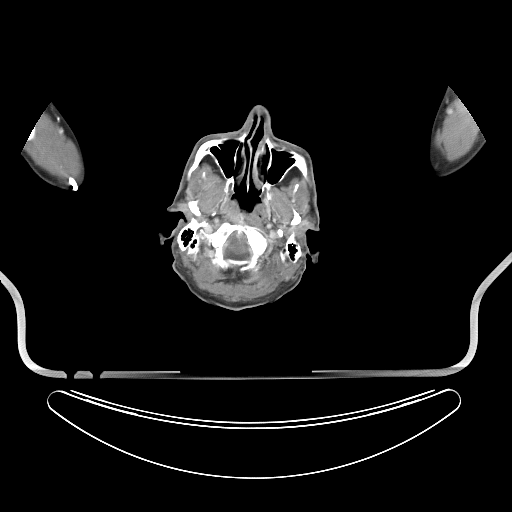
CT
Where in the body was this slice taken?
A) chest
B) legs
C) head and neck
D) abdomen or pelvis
Answer: C) head and neck
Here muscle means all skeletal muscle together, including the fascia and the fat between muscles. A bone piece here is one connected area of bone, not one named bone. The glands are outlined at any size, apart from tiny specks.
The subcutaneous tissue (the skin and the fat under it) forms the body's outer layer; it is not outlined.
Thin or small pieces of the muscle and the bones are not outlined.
The muscle appears in 5 outlined pieces: piece 1: (293, 168) (297, 168) (305, 180) (309, 179) (309, 171) (311, 181) (310, 211) (303, 220) (293, 207) (291, 209) (291, 229) (278, 251) (282, 262) (288, 260) (295, 264) (302, 256) (296, 277) (269, 295) (245, 302) (225, 301) (199, 289) (182, 266) (177, 247) (194, 260) (202, 250) (215, 268) (249, 271) (257, 275) (263, 260) (273, 249) (274, 240) (258, 226) (248, 223) (246, 214) (240, 209) (251, 211) (256, 203) (261, 202) (268, 212) (272, 187); inner edge: (278, 228) (282, 228) (282, 229) (283, 230) (283, 235) (282, 236) (282, 237) (277, 237) (276, 236) (277, 235) (276, 234) (276, 230); piece 2: (48, 105) (59, 118) (66, 133) (66, 135) (74, 143) (79, 154) (81, 166) (83, 169) (83, 174) (80, 182) (75, 188) (71, 186) (65, 186) (55, 177) (50, 175) (40, 168) (34, 163) (32, 159) (22, 149) (26, 143) (29, 142) (35, 137) (36, 134) (36, 123); piece 3: (452, 90) (453, 90) (459, 99) (461, 100) (463, 104) (467, 108) (481, 131) (482, 135) (477, 139) (477, 141) (472, 148) (464, 156) (456, 161) (449, 162) (444, 159) (435, 149) (433, 142) (436, 131) (437, 129) (440, 127) (443, 119) (444, 106) (446, 103) (447, 96); piece 4: (206, 156) (212, 159) (224, 179) (223, 192) (225, 197) (228, 200) (230, 193) (230, 199) (237, 207) (231, 220) (224, 220) (213, 229) (211, 229) (211, 225) (206, 220) (197, 218) (202, 215) (199, 200) (194, 198) (186, 202) (183, 196) (186, 180) (190, 179) (193, 172); piece 5: (302, 222) (304, 224) (304, 227) (303, 228) (303, 229) (302, 230) (302, 245) (301, 245) (301, 244) (297, 240) (297, 239) (296, 238) (296, 233) (295, 232) (295, 231) (294, 230) (294, 229) (293, 228) (295, 226) (296, 226) (297, 225) (298, 225) (299, 224) (300, 224). The bones appear in 2 outlined pieces: piece 1: (258, 114) (262, 117) (253, 148) (269, 119) (271, 139) (305, 158) (308, 179) (293, 167) (271, 187) (268, 211) (252, 181) (246, 190) (245, 174) (235, 184) (234, 186) (233, 198) (245, 214) (244, 220) (273, 240) (255, 274) (215, 267) (202, 249) (194, 259) (179, 248) (176, 236) (194, 216) (190, 200) (198, 200) (201, 215) (196, 218) (211, 230) (232, 220) (232, 217) (238, 207) (231, 199) (230, 192) (226, 197) (225, 179) (213, 159) (206, 155) (188, 180) (186, 174) (202, 143) (240, 134); inner edges: (233, 136) (233, 140) (238, 142) (239, 144) (236, 146) (232, 156) (233, 167) (234, 168) (237, 163) (237, 156) (239, 152) (241, 164) (237, 173) (235, 175) (232, 174) (227, 176) (217, 156) (212, 150) (214, 148) (220, 150) (222, 147) (221, 146) (226, 142) (230, 141), then (274, 150) (277, 152) (285, 152) (287, 155) (289, 156) (292, 161) (291, 163) (290, 163) (289, 165) (288, 165) (287, 167) (285, 168) (278, 179) (273, 183) (272, 182) (270, 182) (266, 176) (267, 175) (268, 171) (272, 165) (272, 162) (273, 161) (273, 151), then (232, 234) (234, 234) (234, 236) (237, 239) (239, 239) (243, 235) (244, 236) (245, 238) (245, 242) (248, 246) (248, 252) (249, 253) (249, 255) (247, 257) (245, 258) (237, 258) (236, 257) (230, 257) (229, 256) (226, 256) (225, 255) (225, 250) (228, 246) (228, 239), then (267, 152) (267, 153) (268, 154) (268, 159) (267, 160) (267, 163) (266, 164) (266, 166) (265, 167) (265, 168) (264, 169) (263, 169) (263, 168) (262, 167) (262, 166) (263, 165) (263, 160) (264, 159) (264, 157) (265, 156) (265, 155) (266, 154) (266, 153); piece 2: (293, 208) (300, 215) (302, 219) (302, 221) (300, 223) (295, 225) (292, 228) (295, 233) (295, 238) (300, 244) (303, 252) (303, 254) (295, 263) (291, 262) (288, 259) (282, 261) (279, 256) (279, 251) (282, 248) (292, 229) (290, 221) (293, 216) (293, 212) (292, 211). The brain is outlined by (232, 234) (234, 234) (234, 236) (237, 239) (239, 239) (243, 235) (244, 236) (245, 238) (245, 242) (248, 246) (248, 252) (249, 253) (249, 255) (247, 257) (245, 258) (237, 258) (236, 257) (230, 257) (229, 256) (226, 256) (225, 255) (225, 250) (228, 246) (228, 239). The left arm is outlined by (447, 86) (449, 86) (453, 90) (473, 117) (485, 139) (485, 144) (475, 157) (463, 168) (445, 177) (437, 177) (432, 173) (428, 163) (428, 143) (429, 142) (429, 137) (430, 136) (430, 131) (431, 130) (432, 123) (439, 104) (441, 101) (441, 99) (444, 94) (445, 89). The head is outlined by (257, 103) (278, 138) (311, 156) (320, 229) (308, 229) (306, 239) (311, 252) (319, 243) (320, 254) (315, 264) (306, 257) (300, 282) (279, 299) (230, 310) (189, 291) (172, 268) (171, 240) (160, 245) (158, 233) (168, 236) (184, 217) (167, 207) (196, 141) (237, 130) with holes at (231, 140) (238, 142) (239, 144) (236, 146) (232, 156) (233, 167) (234, 168) (237, 163) (237, 156) (239, 152) (241, 164) (237, 173) (235, 175) (232, 174) (229, 176) (227, 176) (217, 156) (212, 150) (214, 148) (220, 150) (222, 147) (221, 146) (223, 144) and at (245, 175) (245, 190) (247, 192) (249, 191) (251, 182) (252, 182) (254, 187) (256, 189) (259, 190) (259, 194) (258, 195) (259, 201) (255, 203) (253, 208) (251, 210) (242, 209) (239, 206) (238, 201) (234, 198) (235, 186) (236, 184) (237, 185) (241, 182) (243, 177) and at (274, 150) (277, 152) (285, 152) (287, 155) (289, 156) (292, 161) (291, 163) (290, 163) (289, 165) (288, 165) (287, 167) (285, 168) (278, 179) (273, 183) (272, 182) (270, 182) (266, 176) (267, 175) (268, 171) (272, 165) (272, 162) (273, 161) (273, 151) and at (262, 118) (263, 119) (263, 123) (262, 124) (262, 135) (261, 136) (261, 137) (259, 139) (259, 140) (257, 142) (257, 143) (254, 148) (254, 146) (253, 145) (253, 140) (254, 139) (254, 137) (256, 134) (256, 132) (259, 127) (259, 125) (261, 122) (261, 120) (262, 119) and at (267, 152) (267, 153) (268, 154) (268, 159) (267, 160) (267, 163) (266, 164) (266, 166) (265, 167) (265, 168) (264, 169) (263, 169) (263, 168) (262, 167) (262, 166) (263, 165) (263, 160) (264, 159) (264, 157) (265, 156) (265, 155) (266, 154) (266, 153). The parotid glands appear in 2 outlined pieces: piece 1: (181, 197) (183, 197) (185, 199) (185, 202) (186, 203) (186, 209) (185, 210) (184, 210) (182, 208) (181, 208) (180, 207) (179, 207) (178, 206) (178, 201) (180, 199) (180, 198); piece 2: (309, 212) (310, 212) (311, 213) (311, 219) (312, 220) (312, 221) (311, 222) (311, 223) (309, 223) (308, 224) (307, 224) (306, 225) (305, 225) (305, 224) (303, 222) (303, 221) (304, 221) (305, 220) (304, 219) (304, 217). The right arm is outlined by (50, 102) (53, 102) (55, 104) (69, 124) (79, 142) (83, 153) (83, 157) (86, 167) (85, 182) (83, 185) (76, 187) (72, 190) (63, 190) (54, 187) (42, 180) (30, 169) (26, 162) (20, 155) (30, 133) (40, 118) (40, 116) (42, 115) (42, 113).